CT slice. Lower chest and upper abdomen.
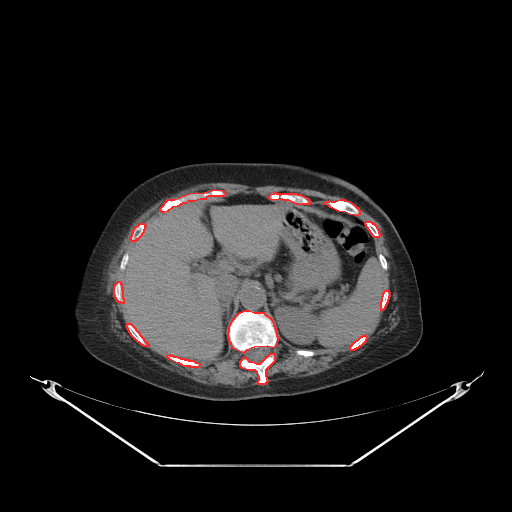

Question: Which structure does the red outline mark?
Answer: red: bones.
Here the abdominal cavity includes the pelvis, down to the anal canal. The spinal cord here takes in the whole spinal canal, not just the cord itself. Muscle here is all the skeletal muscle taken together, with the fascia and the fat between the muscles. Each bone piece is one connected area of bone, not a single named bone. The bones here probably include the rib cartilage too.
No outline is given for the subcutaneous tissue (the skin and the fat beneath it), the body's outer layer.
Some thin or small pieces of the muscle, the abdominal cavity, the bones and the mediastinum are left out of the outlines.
{"bones":[[[244,310],[249,310],[254,312],[263,312],[272,320],[273,325],[275,328],[276,335],[277,336],[277,341],[274,347],[271,348],[267,346],[254,347],[246,350],[243,353],[233,348],[231,343],[229,341],[229,338],[228,337],[229,326],[233,319],[238,313]],[[214,189],[222,190],[225,193],[224,196],[208,196],[206,197],[205,199],[200,199],[194,201],[188,201],[185,203],[182,203],[177,206],[172,207],[167,211],[164,212],[162,212],[160,210],[160,208],[168,199],[174,199],[189,193],[204,192]],[[270,353],[273,353],[274,354],[274,361],[265,370],[265,375],[267,381],[264,384],[258,384],[257,382],[259,379],[259,376],[257,372],[255,370],[248,370],[242,368],[240,366],[240,361],[244,356],[249,361],[252,361],[256,363],[260,363]],[[339,199],[343,199],[344,200],[349,201],[352,203],[356,207],[357,207],[359,210],[359,214],[356,216],[355,215],[349,214],[345,212],[338,211],[330,207],[328,205],[324,204],[324,202],[326,201],[329,201],[330,200],[331,201],[335,201]],[[275,192],[276,193],[279,193],[280,194],[282,193],[296,193],[297,194],[300,194],[306,197],[310,201],[310,203],[309,204],[301,204],[300,205],[299,204],[296,204],[288,200],[283,200],[282,199],[272,200],[269,198],[269,196],[270,194],[274,193]],[[169,354],[170,355],[172,355],[173,356],[176,356],[180,358],[183,358],[184,359],[187,359],[188,360],[192,360],[195,362],[197,362],[199,363],[200,365],[197,367],[191,367],[190,366],[184,366],[179,363],[177,363],[169,359],[167,357],[167,355]],[[127,323],[130,323],[135,328],[135,329],[139,333],[139,334],[143,338],[143,339],[147,343],[148,346],[144,346],[143,345],[142,345],[139,342],[138,342],[131,335],[131,334],[129,332],[129,331],[128,330],[128,329],[126,326]],[[140,223],[143,223],[145,225],[145,226],[144,227],[144,229],[143,230],[143,232],[141,234],[141,235],[137,239],[136,239],[135,240],[135,241],[132,241],[131,240],[131,236],[132,235],[132,233],[133,232],[133,230],[134,229],[134,228]],[[118,281],[119,281],[121,284],[121,289],[122,290],[122,297],[123,298],[123,303],[121,303],[120,302],[119,302],[118,301],[117,301],[117,300],[116,299],[116,298],[114,295],[114,286],[115,285],[115,284],[116,283],[116,282],[117,282]],[[366,221],[370,221],[372,223],[373,223],[376,226],[376,227],[377,228],[377,229],[378,230],[378,232],[379,233],[379,236],[378,237],[374,237],[372,235],[372,234],[370,232],[370,231],[368,229],[368,228],[366,226],[366,225],[365,224],[365,222]],[[363,335],[365,335],[366,336],[366,339],[365,340],[365,341],[360,346],[359,346],[357,348],[356,348],[355,349],[354,349],[353,350],[350,350],[350,346],[356,340],[357,340],[361,336],[362,336]],[[385,290],[388,290],[388,291],[389,292],[389,296],[388,297],[388,299],[387,300],[387,302],[386,303],[386,304],[385,305],[385,306],[384,307],[384,308],[382,310],[381,310],[381,301],[382,300],[382,296],[383,295],[383,293],[384,292],[384,291]]],"mediastinum":[[[246,288],[251,288],[252,289],[255,289],[259,291],[263,298],[266,314],[263,311],[254,311],[249,309],[244,309],[239,311],[237,314],[234,316],[236,313],[236,310],[240,304],[240,300],[242,297],[242,295],[244,293],[244,291]],[[315,204],[317,204],[318,205],[325,205],[338,212],[341,212],[342,213],[345,213],[349,215],[355,216],[361,221],[362,221],[365,225],[362,225],[361,224],[353,222],[346,218],[331,214],[328,212],[324,211],[320,208],[309,206],[310,205],[314,205]]],"spinal_cord":[[[261,347],[267,347],[268,348],[269,348],[269,354],[268,355],[267,355],[262,360],[262,361],[261,361],[260,362],[256,362],[255,361],[253,361],[252,360],[249,360],[244,355],[244,353],[246,351],[247,351],[250,349],[253,349],[254,348],[260,348]]],"muscle":[[[207,182],[229,182],[250,186],[276,185],[299,187],[313,189],[331,195],[337,195],[346,199],[330,199],[324,201],[323,204],[311,204],[311,201],[306,196],[296,192],[280,193],[275,191],[270,193],[268,197],[255,192],[239,192],[225,196],[226,193],[222,189],[214,188],[204,191],[189,192],[174,198],[168,198],[159,208],[159,213],[152,216],[145,224],[140,222],[132,230],[130,240],[134,242],[133,245],[129,254],[128,252],[125,252],[119,262],[119,269],[123,272],[121,283],[118,280],[113,286],[113,295],[117,302],[123,304],[125,313],[129,320],[125,326],[130,335],[142,346],[148,347],[149,344],[167,354],[166,357],[172,362],[191,368],[197,368],[201,365],[200,363],[217,360],[218,358],[223,357],[227,353],[230,343],[234,350],[243,354],[239,361],[239,366],[242,369],[256,372],[258,376],[256,385],[233,387],[230,385],[208,385],[197,382],[170,371],[146,358],[127,343],[121,341],[110,327],[112,298],[106,292],[107,270],[112,257],[116,253],[133,221],[151,205],[163,197],[189,186]],[[354,204],[383,228],[385,244],[391,254],[390,276],[395,280],[398,296],[398,324],[372,341],[361,353],[329,369],[266,385],[266,370],[275,361],[270,348],[274,348],[278,340],[296,348],[295,353],[304,357],[314,356],[314,350],[318,349],[349,346],[353,351],[366,341],[367,332],[388,302],[390,292],[385,288],[384,273],[388,261],[377,252],[374,239],[380,236],[379,230],[370,220],[364,222],[357,216],[360,210]]],"abdominal_cavity":[[[239,193],[309,205],[367,228],[384,271],[385,289],[381,311],[365,334],[343,347],[297,348],[278,339],[262,294],[246,287],[228,326],[228,349],[223,356],[198,362],[165,353],[144,339],[126,313],[122,280],[130,252],[146,224],[152,217],[182,204]]],"torso":[[[202,162],[302,165],[339,176],[366,192],[392,221],[414,267],[423,319],[423,333],[417,346],[382,368],[335,386],[291,396],[233,401],[208,400],[168,391],[107,365],[88,353],[75,332],[74,298],[88,256],[107,219],[122,198],[144,180],[174,167]]]}